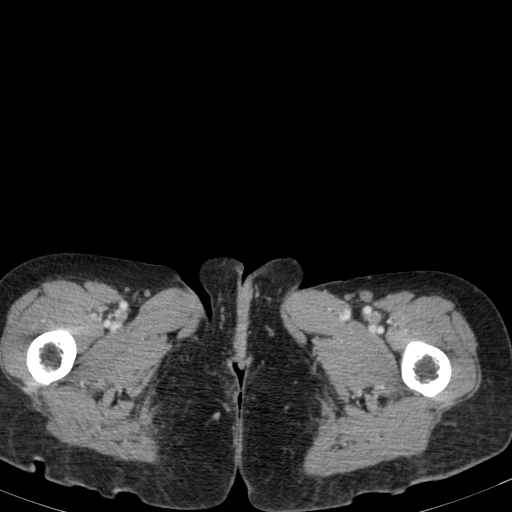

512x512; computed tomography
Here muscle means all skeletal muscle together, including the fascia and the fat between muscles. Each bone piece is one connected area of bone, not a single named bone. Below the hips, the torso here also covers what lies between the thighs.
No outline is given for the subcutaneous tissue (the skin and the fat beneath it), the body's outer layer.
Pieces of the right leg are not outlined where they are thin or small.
Outlines (x, y in pixels):
left leg: [[406,270],[440,270],[463,277],[481,289],[498,309],[511,338],[511,442],[499,454],[468,469],[444,479],[411,485],[399,494],[370,492],[356,497],[348,505],[314,511],[258,511],[248,501],[239,474],[242,370],[256,341],[268,327],[278,302],[301,287]]
torso: [[216,254],[223,254],[240,260],[244,265],[244,277],[266,261],[278,256],[294,257],[303,265],[305,270],[301,286],[292,290],[277,302],[267,327],[255,341],[249,352],[247,361],[241,370],[226,350],[216,331],[209,297],[196,275],[198,265],[204,259]]
bones 1: [[412,339],[422,340],[426,343],[431,344],[439,348],[446,354],[450,361],[450,364],[452,368],[450,379],[447,385],[441,391],[437,393],[433,397],[425,396],[420,392],[409,388],[402,380],[401,377],[401,369],[400,368],[401,358],[405,346],[407,343]]
bones 2: [[59,327],[68,328],[71,331],[71,333],[75,340],[77,353],[73,365],[69,372],[66,375],[60,379],[52,381],[47,385],[40,385],[33,378],[27,368],[27,365],[26,364],[26,353],[27,352],[27,349],[31,341],[36,336],[43,332],[52,330]]
muscle 1: [[308,288],[330,292],[356,304],[375,302],[389,293],[402,290],[438,288],[449,292],[458,303],[478,343],[482,380],[471,397],[441,416],[420,456],[398,457],[322,478],[303,470],[306,450],[322,421],[324,380],[315,360],[284,326],[280,304],[293,291]]; inner edge: [[412,339],[422,340],[426,343],[431,344],[439,348],[446,354],[450,361],[450,364],[452,368],[450,379],[447,385],[441,391],[437,393],[433,397],[425,396],[420,392],[409,388],[402,380],[401,377],[401,369],[400,368],[401,358],[405,346],[407,343]]
muscle 2: [[56,276],[96,279],[114,287],[134,305],[162,289],[181,288],[194,295],[203,308],[203,316],[193,334],[165,361],[156,375],[155,394],[162,406],[159,465],[119,460],[88,448],[66,444],[48,434],[44,418],[0,369],[0,335],[10,305],[34,285]] with a hole at [[59,327],[68,328],[71,331],[71,333],[75,340],[77,353],[73,365],[69,372],[66,375],[60,379],[52,381],[47,385],[40,385],[33,378],[27,368],[27,365],[26,364],[26,353],[27,352],[27,349],[31,341],[36,336],[43,332],[52,330]]
right leg: [[57,252],[91,253],[171,267],[197,293],[206,311],[210,309],[215,331],[241,381],[239,470],[221,504],[202,511],[186,511],[148,505],[128,492],[106,498],[94,490],[46,479],[40,461],[34,462],[34,472],[28,472],[0,459],[0,277],[28,259]]